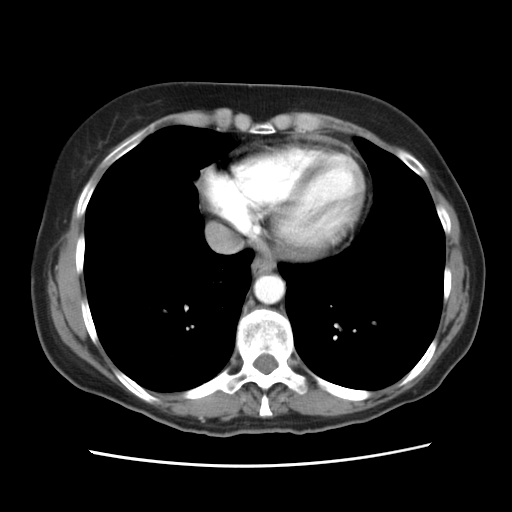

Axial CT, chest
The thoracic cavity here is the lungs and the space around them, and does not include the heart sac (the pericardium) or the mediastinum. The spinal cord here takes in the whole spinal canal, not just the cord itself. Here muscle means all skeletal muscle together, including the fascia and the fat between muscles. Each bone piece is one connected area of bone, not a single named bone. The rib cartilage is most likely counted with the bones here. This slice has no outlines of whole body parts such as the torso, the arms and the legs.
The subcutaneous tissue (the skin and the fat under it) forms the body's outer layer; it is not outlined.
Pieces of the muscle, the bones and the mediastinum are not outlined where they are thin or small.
The bones appear in 13 outlined pieces: piece 1: 256,308 272,309 288,318 295,351 312,372 343,387 369,390 371,395 363,400 344,399 307,375 303,394 282,382 265,392 271,416 260,416 264,391 252,381 231,394 216,390 195,399 181,396 230,364 239,319; inner edge: 262,354 268,354 269,355 271,355 274,358 274,359 277,363 277,365 276,366 276,367 275,367 270,372 269,372 268,373 264,373 254,366 254,362 255,361 255,360 260,355 261,355; piece 2: 297,113 314,114 324,121 323,126 313,131 299,132 292,126 287,129 278,129 274,133 260,134 241,131 237,129 233,123 234,117 237,114 245,115 253,124 265,121 272,122 276,116 281,114 289,114 293,116; piece 3: 151,123 155,123 155,126 154,127 154,131 153,132 147,135 139,143 138,143 127,152 126,152 116,160 115,160 108,167 101,166 101,162 102,160 110,152 111,152 124,141 130,138 137,132 147,127; piece 4: 114,368 117,368 119,369 128,377 136,382 140,386 144,388 151,395 158,398 159,399 159,402 157,403 149,403 143,399 138,397 132,392 131,392 122,383 121,383 121,382 116,377 115,374 113,372 113,369; piece 5: 434,338 436,338 437,339 437,344 436,345 435,350 433,353 433,355 425,367 414,378 405,384 399,386 398,385 399,384 399,382 402,379 402,378 410,371 410,370 422,357 428,348 429,345 431,343 432,340; piece 6: 187,113 204,113 205,114 207,114 210,116 210,123 207,126 205,126 204,127 203,126 195,126 194,125 188,125 187,124 179,124 178,123 176,123 173,119 173,117 175,115 179,115 180,114 186,114; piece 7: 90,179 94,179 97,182 97,183 87,203 87,205 86,206 86,208 85,209 85,212 84,214 82,216 80,217 78,217 76,215 76,211 77,210 77,204 78,203 78,199 82,191 82,189 83,187; piece 8: 85,297 86,297 88,302 88,305 89,306 91,317 92,318 92,320 95,327 95,330 99,340 99,343 97,344 95,344 92,341 87,331 87,329 83,319 82,311 81,310 81,301 82,299; piece 9: 400,149 401,150 403,150 404,151 409,153 411,155 412,155 414,157 415,157 422,164 422,165 425,168 425,169 427,172 427,175 424,177 421,177 413,170 412,170 401,159 400,159 395,154 396,153 396,152; piece 10: 82,231 83,231 84,233 84,243 85,244 84,246 84,255 83,256 83,272 82,273 78,273 76,269 76,264 75,263 75,251 76,250 76,243 77,242 77,239 80,233; piece 11: 221,109 227,109 230,111 231,113 231,117 230,118 231,119 231,123 230,125 226,128 223,128 222,129 218,129 214,121 214,118 213,116 216,112 216,111 218,110 220,110; piece 12: 437,204 440,204 442,205 445,208 449,215 449,218 450,219 450,222 451,223 451,227 450,228 450,232 448,234 445,234 444,230 443,229 443,227 439,219 439,217 436,210 436,207 435,206 435,205; piece 13: 445,265 448,266 448,267 450,269 450,271 451,272 451,288 450,289 450,293 449,294 449,295 448,296 448,297 447,298 446,301 445,302 444,302 443,301 443,280 444,279 444,268 445,267. The mediastinum appears in 4 outlined pieces: piece 1: 203,216 223,223 229,229 238,234 245,243 262,256 288,262 281,261 277,265 278,271 286,283 286,315 275,309 267,307 256,307 241,315 242,306 251,283 250,266 254,253 249,248 229,254 216,252 206,241; piece 2: 213,128 218,130 225,130 235,128 241,132 260,135 274,134 278,130 288,129 299,133 318,130 344,132 355,135 352,140 363,159 351,145 332,137 314,134 290,134 281,137 258,139 232,149 238,144 237,141 229,134 222,132; piece 3: 364,160 367,165 372,180 372,203 367,216 359,232 354,238 356,232 358,231 358,229 366,217 366,214 368,212 368,209 370,207 372,201 372,190 371,189 370,178 368,176 368,172 366,169 366,164 364,162; piece 4: 209,164 210,164 205,168 205,169 200,175 200,176 199,177 199,180 196,185 196,187 196,186 194,183 194,181 198,178 198,177 199,176 199,174 200,173 200,170 202,168 203,168 205,166 207,166. The spinal cord is outlined by 262,354 268,354 269,355 271,355 274,358 274,359 277,363 277,365 276,366 276,367 275,367 270,372 269,372 268,373 264,373 254,366 254,362 255,361 255,360 260,355 261,355. The muscle appears in 5 outlined pieces: piece 1: 423,164 457,215 463,260 469,268 469,306 463,325 429,371 415,385 392,399 361,411 337,416 305,415 292,411 269,418 240,416 227,421 202,422 166,413 128,393 78,356 61,339 53,323 47,293 48,258 69,225 78,196 75,215 78,218 84,215 84,225 76,239 74,263 76,272 83,273 86,292 86,296 80,301 82,319 91,341 95,345 100,343 115,365 112,369 115,377 138,398 149,404 159,403 160,399 147,390 159,393 181,392 181,397 190,400 208,396 216,391 231,395 244,384 252,382 263,391 259,416 271,417 273,413 266,392 276,383 282,383 290,390 303,395 308,391 309,376 322,390 349,401 366,400 372,395 372,391 385,388 399,380 397,385 403,386 414,379 434,355 438,344 438,339 434,337 443,302 447,301 452,288 452,272 445,264 445,235 451,232 452,223 446,208 440,203 434,203 423,179 428,175; piece 2: 293,111 305,111 322,113 352,122 368,129 383,140 399,146 412,154 400,148 394,154 384,149 370,140 372,136 369,132 356,135 339,130 320,129 325,125 325,121 319,115 311,113 310,112 309,112 297,112 292,115 289,113 282,113; piece 3: 221,107 226,107 227,108 229,108 233,110 234,112 241,112 242,113 245,113 246,114 248,114 252,116 254,118 256,118 260,120 261,119 267,119 270,117 275,116 273,118 272,121 270,121 269,120 265,120 264,121 257,121 256,122 252,123 251,120 245,114 243,113 237,113 233,117 233,119 232,120 232,123 234,127 231,127 227,128 228,128 231,125 232,123 232,119 231,118 232,117 232,113 231,111 227,108 221,108 220,109 216,110 212,116 213,118 213,121 216,126 216,128 215,127 211,127 210,126 208,126 211,123 211,116 209,114 205,113 204,112 187,112 186,113 180,113 179,114 175,114 172,117 172,119 174,121 175,124 165,125 155,130 156,123 155,122 151,122 152,122 156,119 158,119 168,114 178,113 179,112 183,112 184,111 187,111 188,110 197,110 198,109 200,109 201,110 213,110 216,108 220,108; piece 4: 101,160 101,161 100,162 100,166 101,167 104,167 105,168 107,168 105,170 105,171 102,174 101,177 99,179 99,180 98,181 97,181 94,178 90,178 88,180 88,179 89,178 90,175 92,173 94,168; piece 5: 135,132 136,132 134,134 133,134 127,139 124,140 121,143 120,143 116,147 115,147 111,151 110,151 108,153 109,150 111,148 112,148 114,146 115,146 117,144 118,144 120,142 121,142 128,136 131,135. The pericardium is outlined by 290,135 323,136 351,146 363,160 369,178 371,201 363,221 349,244 335,254 312,262 293,263 264,256 252,248 238,233 223,222 203,215 200,208 197,185 203,172 213,162 224,158 232,150 244,147 255,141. The thoracic cavity appears in 2 outlined pieces: piece 1: 176,124 212,128 236,141 224,157 202,167 193,183 209,247 226,255 249,249 253,257 250,283 236,325 234,352 227,365 194,387 159,392 146,389 118,368 100,342 84,278 84,226 88,203 106,170 156,130; piece 2: 355,136 361,136 395,155 422,178 444,233 442,305 434,336 405,375 375,390 334,383 316,374 302,361 295,348 286,312 287,283 278,268 281,262 305,264 335,255 347,248 360,232 372,207 373,180 353,140.